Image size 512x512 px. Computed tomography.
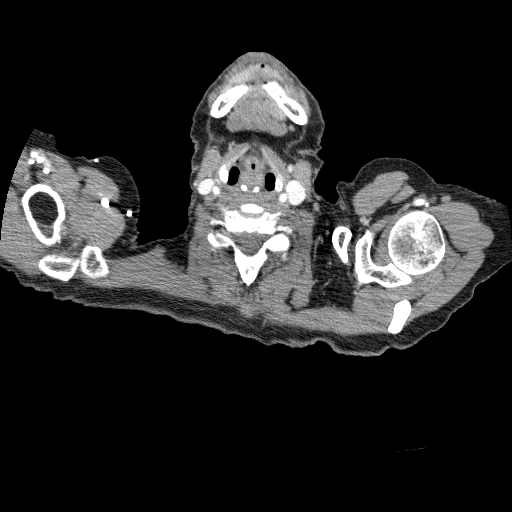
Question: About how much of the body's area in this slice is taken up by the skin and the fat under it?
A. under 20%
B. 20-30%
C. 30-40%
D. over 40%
Answer: B. 20-30%
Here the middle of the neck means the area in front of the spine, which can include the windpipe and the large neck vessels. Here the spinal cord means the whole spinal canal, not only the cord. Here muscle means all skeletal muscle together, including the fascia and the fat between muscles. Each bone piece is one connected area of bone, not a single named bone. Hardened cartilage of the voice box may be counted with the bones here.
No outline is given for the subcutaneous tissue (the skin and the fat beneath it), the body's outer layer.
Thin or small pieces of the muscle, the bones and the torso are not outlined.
The torso is outlined by (384, 156) (427, 172) (398, 212) (396, 247) (400, 268) (442, 328) (409, 348) (363, 357) (320, 341) (268, 346) (165, 315) (52, 297) (102, 275) (144, 243) (179, 235) (177, 277) (207, 318) (221, 329) (264, 336) (316, 275) (326, 234) (320, 195) (334, 202) (339, 180). The muscle is outlined by (258, 56) (279, 65) (308, 103) (310, 122) (297, 146) (310, 162) (311, 194) (324, 207) (337, 210) (376, 174) (401, 170) (414, 188) (461, 198) (478, 209) (493, 238) (480, 267) (449, 302) (404, 326) (412, 306) (406, 298) (396, 301) (386, 327) (395, 335) (328, 337) (181, 299) (31, 278) (0, 259) (6, 190) (23, 149) (34, 145) (119, 183) (125, 231) (106, 253) (120, 256) (182, 240) (208, 140) (203, 128) (210, 94) (236, 64); inner edges: (247, 146) (239, 160) (266, 162) (264, 150) (283, 183) (297, 180) (304, 190) (296, 205) (262, 206) (283, 213) (291, 244) (286, 260) (272, 253) (248, 286) (230, 250) (213, 250) (206, 238) (225, 230) (209, 223) (222, 218) (220, 206) (239, 206) (198, 194), then (410, 211) (429, 213) (439, 223) (446, 242) (441, 261) (433, 269) (415, 277) (406, 285) (385, 287) (376, 282) (370, 282) (357, 286) (353, 269) (357, 240) (366, 229) (374, 232) (370, 248) (371, 259) (377, 265) (386, 265) (391, 261) (387, 246) (389, 232) (395, 222), then (36, 183) (43, 183) (50, 186) (59, 194) (62, 201) (64, 203) (67, 214) (66, 215) (65, 222) (61, 228) (61, 233) (62, 234) (61, 244) (48, 245) (47, 246) (39, 241) (36, 241) (28, 224) (24, 213) (23, 207) (21, 204) (21, 198) (26, 190) (29, 187), then (267, 80) (276, 80) (287, 94) (295, 99) (306, 110) (308, 116) (306, 124) (299, 125) (292, 121) (282, 113) (276, 103) (269, 96) (261, 91) (251, 91) (244, 94) (230, 110) (221, 117) (213, 117) (209, 114) (210, 106) (226, 86) (232, 86) (239, 83) (256, 84), then (87, 244) (98, 245) (103, 251) (103, 254) (110, 268) (110, 272) (105, 277) (93, 279) (87, 277) (78, 269) (68, 282) (63, 282) (47, 276) (42, 273) (38, 268) (37, 263) (44, 254) (45, 255) (60, 254) (67, 255) (70, 257) (77, 257) (81, 249), then (338, 225) (344, 225) (346, 226) (350, 230) (351, 232) (351, 236) (350, 237) (350, 239) (347, 243) (347, 257) (348, 258) (348, 262) (347, 263) (344, 263) (342, 262) (339, 256) (337, 254) (333, 246) (333, 244) (332, 243) (332, 232) (334, 230) (334, 228). The spinal cord is outlined by (241, 233) (247, 233) (248, 234) (256, 233) (260, 235) (261, 234) (262, 235) (267, 235) (268, 236) (267, 238) (263, 241) (259, 249) (254, 254) (252, 255) (248, 255) (247, 254) (245, 254) (240, 250) (240, 248) (235, 242) (235, 240) (233, 238) (234, 236). The middle of the neck is outlined by (246, 155) (256, 156) (267, 163) (274, 175) (273, 188) (277, 192) (280, 192) (285, 184) (297, 180) (304, 190) (304, 201) (296, 205) (274, 203) (261, 205) (253, 202) (238, 205) (222, 195) (200, 196) (198, 185) (204, 179) (217, 177) (222, 183) (227, 184) (231, 167). The bones appear in 9 outlined pieces: piece 1: (410, 211) (429, 213) (439, 223) (446, 242) (441, 261) (433, 269) (415, 277) (406, 285) (385, 287) (376, 282) (370, 282) (357, 286) (353, 269) (357, 240) (366, 229) (374, 232) (370, 248) (371, 259) (377, 265) (386, 265) (391, 261) (387, 246) (389, 232) (395, 222); piece 2: (248, 203) (260, 205) (270, 213) (281, 211) (279, 222) (289, 226) (292, 232) (288, 235) (291, 244) (286, 260) (279, 253) (272, 253) (247, 286) (230, 250) (213, 250) (206, 236) (212, 231) (225, 230) (219, 224) (209, 223) (211, 218) (222, 218) (220, 206) (232, 210); inner edge: (241, 233) (247, 233) (248, 234) (256, 233) (260, 235) (261, 234) (262, 235) (267, 235) (268, 236) (267, 238) (263, 241) (259, 249) (254, 254) (252, 255) (248, 255) (247, 254) (245, 254) (240, 250) (240, 248) (235, 242) (235, 240) (233, 238) (234, 236); piece 3: (36, 183) (43, 183) (50, 186) (59, 194) (62, 201) (64, 203) (67, 214) (66, 215) (65, 222) (61, 228) (61, 233) (62, 234) (61, 244) (48, 245) (47, 246) (39, 241) (36, 241) (28, 224) (24, 213) (23, 207) (21, 204) (21, 198) (26, 190) (29, 187); piece 4: (267, 80) (276, 80) (287, 94) (295, 99) (306, 110) (308, 116) (306, 124) (299, 125) (292, 121) (282, 113) (276, 103) (269, 96) (261, 91) (251, 91) (244, 94) (230, 110) (221, 117) (213, 117) (209, 114) (210, 106) (226, 86) (232, 86) (239, 83) (256, 84); piece 5: (87, 244) (98, 245) (103, 251) (103, 254) (110, 268) (110, 272) (105, 277) (93, 279) (87, 277) (78, 269) (68, 282) (63, 282) (47, 276) (42, 273) (38, 268) (37, 263) (44, 254) (45, 255) (60, 254) (67, 255) (70, 257) (77, 257) (81, 249); piece 6: (403, 299) (406, 299) (408, 300) (411, 306) (411, 310) (410, 311) (410, 313) (407, 317) (404, 323) (404, 325) (400, 332) (397, 334) (390, 334) (387, 332) (387, 327) (390, 323) (390, 321) (392, 317) (392, 314) (393, 313) (393, 306) (396, 302) (400, 300) (402, 300); piece 7: (338, 225) (344, 225) (346, 226) (350, 230) (351, 232) (351, 236) (350, 237) (350, 239) (347, 243) (347, 257) (348, 258) (348, 262) (347, 263) (344, 263) (342, 262) (339, 256) (337, 254) (333, 246) (333, 244) (332, 243) (332, 232) (334, 230) (334, 228); piece 8: (247, 146) (248, 148) (246, 151) (241, 156) (240, 156) (235, 161) (234, 164) (230, 167) (228, 171) (228, 179) (227, 180) (227, 183) (226, 182) (222, 182) (218, 177) (219, 176) (218, 175) (218, 170) (221, 165) (229, 161) (235, 154) (239, 153) (240, 152) (239, 151); piece 9: (262, 150) (264, 150) (265, 151) (267, 155) (267, 157) (275, 166) (276, 169) (282, 176) (282, 179) (283, 180) (283, 183) (284, 184) (282, 187) (282, 189) (280, 191) (277, 191) (274, 188) (275, 186) (275, 175) (271, 170) (271, 168) (267, 162) (267, 159) (263, 156). The head and neck is outlined by (248, 52) (271, 54) (289, 68) (316, 100) (324, 125) (317, 152) (323, 165) (313, 182) (325, 212) (325, 234) (316, 272) (280, 325) (264, 335) (244, 334) (218, 327) (185, 290) (178, 277) (179, 237) (188, 223) (187, 211) (191, 199) (192, 118) (208, 86) (226, 66). The right arm is outlined by (34, 129) (53, 134) (58, 148) (71, 156) (83, 155) (95, 158) (109, 155) (114, 157) (129, 170) (140, 197) (137, 242) (141, 244) (102, 274) (53, 296) (49, 292) (35, 291) (30, 287) (20, 285) (12, 273) (0, 268) (0, 237) (8, 198) (6, 190) (13, 168). The left arm is outlined by (425, 173) (428, 173) (438, 183) (457, 184) (503, 203) (508, 215) (511, 236) (511, 262) (506, 264) (487, 280) (480, 283) (475, 288) (471, 299) (465, 305) (454, 312) (443, 327) (432, 317) (401, 268) (397, 247) (397, 229) (398, 228) (399, 212) (410, 193) (413, 185).